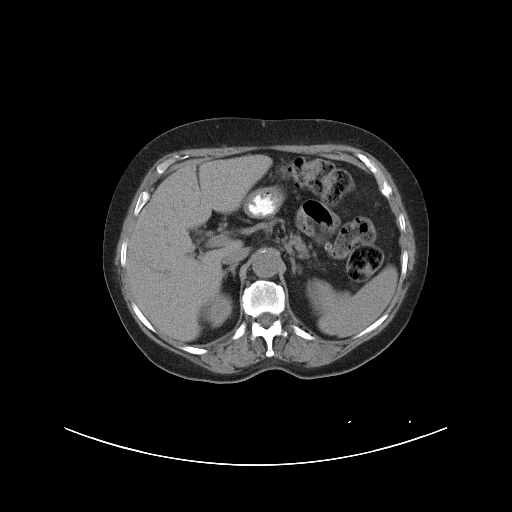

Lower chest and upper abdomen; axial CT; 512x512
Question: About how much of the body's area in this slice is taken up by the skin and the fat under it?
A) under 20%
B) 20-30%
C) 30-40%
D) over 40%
Answer: B) 20-30%
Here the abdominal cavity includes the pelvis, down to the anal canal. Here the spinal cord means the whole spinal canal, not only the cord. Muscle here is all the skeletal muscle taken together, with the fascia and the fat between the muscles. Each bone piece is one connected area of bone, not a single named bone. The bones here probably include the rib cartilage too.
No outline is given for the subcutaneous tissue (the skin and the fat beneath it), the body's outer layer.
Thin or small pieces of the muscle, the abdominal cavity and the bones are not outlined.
bones 1: 260 279; 279 284; 285 295; 284 309; 279 317; 282 328; 287 332; 287 335; 275 335; 273 337; 271 347; 274 353; 270 357; 266 356; 267 345; 262 336; 257 336; 252 340; 250 338; 251 318; 244 312; 242 307; 244 289; 254 281 with a hole at 265 312; 268 312; 269 313; 270 313; 271 314; 274 315; 274 316; 275 317; 275 319; 273 321; 273 322; 268 327; 264 327; 263 326; 262 326; 256 320; 256 319; 258 317; 258 316; 259 315; 260 315; 262 313; 264 313
bones 2: 353 152; 357 152; 358 153; 361 153; 365 156; 366 156; 370 160; 371 160; 382 172; 388 184; 391 187; 391 194; 390 195; 390 198; 389 199; 388 199; 381 192; 380 186; 377 180; 375 178; 374 175; 365 165; 365 164; 354 155
bones 3: 176 154; 178 155; 180 155; 181 156; 182 155; 187 155; 188 156; 183 159; 177 159; 175 160; 169 165; 169 166; 163 173; 161 174; 158 174; 156 171; 156 168; 157 166; 160 163; 165 161; 167 159; 172 158; 174 156; 174 155
bones 4: 387 310; 388 310; 388 314; 387 315; 387 317; 374 329; 365 333; 363 335; 359 337; 356 337; 355 338; 353 337; 353 336; 354 336; 356 334; 357 334; 359 332; 360 332; 362 330; 363 330; 365 328; 369 326; 376 320; 377 320
bones 5: 144 190; 147 190; 148 191; 149 193; 149 198; 147 200; 147 201; 142 206; 141 209; 139 211; 137 215; 135 216; 133 213; 134 212; 134 209; 135 208; 135 205; 136 204; 137 199; 139 195; 141 193; 141 192
bones 6: 132 302; 134 302; 137 305; 137 306; 139 308; 140 311; 143 314; 143 315; 147 319; 147 320; 151 324; 151 325; 156 330; 156 332; 153 332; 150 329; 149 329; 139 319; 139 318; 136 315; 135 312; 132 308; 132 305; 131 304
bones 7: 403 250; 406 250; 407 251; 407 268; 406 269; 406 272; 405 273; 405 276; 404 277; 404 278; 403 279; 403 280; 401 282; 400 282; 399 281; 400 280; 400 271; 401 270; 401 253; 402 252; 402 251
bones 8: 181 345; 190 345; 191 346; 194 346; 195 347; 199 347; 200 348; 204 348; 207 350; 207 352; 206 352; 205 353; 203 353; 202 354; 194 354; 193 353; 190 353; 187 351; 185 351; 184 350; 183 350; 182 349; 181 349; 179 347
bones 9: 291 325; 296 325; 297 326; 300 327; 302 329; 303 329; 305 331; 308 332; 311 335; 312 335; 314 337; 314 339; 306 339; 305 338; 303 338; 301 336; 300 336; 299 335; 297 335; 294 332; 293 329; 290 326
bones 10: 125 239; 126 239; 127 240; 127 249; 126 250; 126 263; 125 264; 125 266; 124 267; 123 267; 121 265; 121 264; 120 263; 120 253; 121 252; 121 245; 122 244; 122 242
bones 11: 243 321; 245 321; 247 324; 247 326; 246 327; 246 329; 245 330; 245 331; 244 332; 244 333; 241 336; 240 336; 238 338; 237 338; 236 339; 232 339; 231 338; 231 337; 235 332; 235 331; 236 330; 236 329; 240 325; 240 324
muscle: 322 143; 341 143; 342 144; 350 145; 368 152; 380 161; 390 173; 400 194; 402 202; 408 215; 408 218; 413 230; 413 236; 415 241; 415 262; 413 266; 413 271; 409 282; 409 286; 407 292; 402 301; 400 307; 391 321; 378 334; 358 345; 340 358; 325 365; 307 368; 306 367; 298 366; 292 364; 290 362; 285 362; 279 359; 267 358; 266 359; 263 359; 255 366; 253 366; 250 368; 247 368; 244 370; 241 370; 236 373; 230 373; 229 374; 216 373; 210 370; 208 370; 190 361; 183 356; 168 350; 166 348; 159 345; 148 337; 141 330; 131 315; 127 307; 127 305; 121 292; 120 282; 117 277; 118 276; 116 271; 116 266; 114 263; 114 259; 116 253; 116 247; 120 236; 123 221; 126 216; 129 206; 145 174; 155 161; 167 153; 176 151; 180 149; 186 149; 187 148; 220 147; 224 145; 225 146; 254 146; 255 145; 277 145; 278 144; 287 144; 288 145; 291 145; 292 144; 295 144; 296 145; 311 145; 312 144; 321 144, around holes outlined by 251 151; 318 154; 364 168; 367 167; 365 164; 353 153; 357 152; 382 172; 391 187; 388 200; 391 210; 396 219; 402 213; 405 221; 405 231; 400 233; 399 242; 400 249; 407 251; 407 268; 403 280; 397 283; 387 308; 387 317; 374 329; 355 338; 325 339; 311 331; 308 332; 314 339; 303 338; 290 326; 305 328; 293 313; 287 298; 279 316; 287 335; 273 337; 272 356; 266 356; 267 345; 262 336; 250 338; 251 318; 242 310; 239 323; 231 331; 198 345; 207 352; 194 354; 181 349; 181 343; 159 331; 153 332; 136 315; 120 253; 122 242; 130 238; 136 221; 133 213; 141 192; 151 192; 161 178; 178 168 and by 176 154; 178 155; 180 155; 181 156; 182 155; 187 155; 188 156; 183 159; 177 159; 175 160; 169 165; 169 166; 163 173; 161 174; 158 174; 156 171; 156 168; 157 166; 160 163; 165 161; 167 159; 172 158; 174 156; 174 155 and by 243 321; 245 321; 247 324; 247 326; 246 327; 246 329; 245 330; 245 331; 244 332; 244 333; 241 336; 240 336; 238 338; 237 338; 236 339; 232 339; 231 338; 231 337; 235 332; 235 331; 236 330; 236 329; 240 325; 240 324
mediastinum: 262 254; 270 254; 272 256; 275 256; 277 259; 277 275; 279 278; 281 285; 279 283; 277 283; 273 280; 262 279; 260 278; 254 280; 245 287; 248 278; 248 275; 249 274; 248 271; 250 265; 252 263; 252 261; 256 256; 259 256
torso: 222 116; 324 118; 353 124; 387 142; 416 177; 429 220; 425 281; 412 315; 399 335; 361 366; 316 379; 301 379; 272 369; 235 383; 198 381; 155 365; 124 328; 106 286; 102 267; 104 225; 114 189; 132 158; 154 137; 184 123
abdominal cavity: 251 151; 318 154; 367 168; 388 200; 400 232; 399 280; 387 309; 351 337; 325 339; 304 329; 286 299; 278 259; 270 253; 256 255; 249 265; 239 323; 208 343; 195 346; 169 339; 134 301; 126 269; 128 240; 156 184; 178 168
spinal cord: 265 312; 268 312; 269 313; 270 313; 271 314; 274 315; 274 316; 275 317; 275 319; 273 321; 273 322; 268 327; 264 327; 263 326; 262 326; 256 320; 256 319; 258 317; 258 316; 259 315; 260 315; 262 313; 264 313